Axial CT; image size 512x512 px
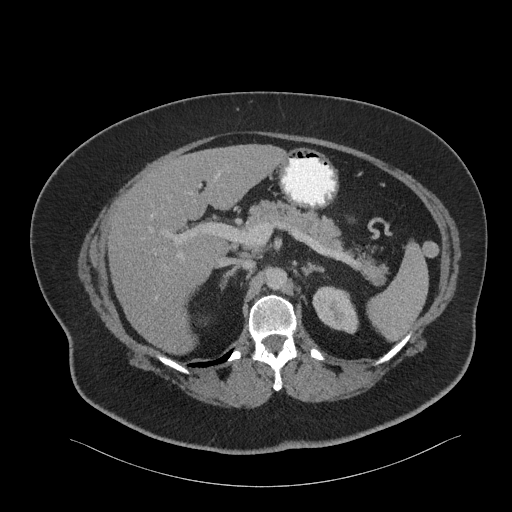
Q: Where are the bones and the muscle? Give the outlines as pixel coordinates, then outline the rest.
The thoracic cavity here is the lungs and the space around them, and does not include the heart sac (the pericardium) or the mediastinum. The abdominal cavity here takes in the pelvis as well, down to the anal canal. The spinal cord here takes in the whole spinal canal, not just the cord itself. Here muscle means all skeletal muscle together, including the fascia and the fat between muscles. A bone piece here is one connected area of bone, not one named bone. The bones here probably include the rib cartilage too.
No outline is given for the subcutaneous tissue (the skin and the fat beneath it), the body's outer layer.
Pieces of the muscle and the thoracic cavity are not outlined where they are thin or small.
A: The bones appear in 5 outlined pieces: piece 1: (269, 294) (281, 296) (289, 301) (293, 305) (297, 320) (293, 337) (299, 354) (288, 360) (281, 368) (280, 375) (282, 387) (278, 391) (273, 388) (274, 371) (272, 368) (267, 363) (253, 360) (251, 357) (254, 350) (254, 342) (248, 330) (248, 319) (251, 306) (256, 300), around a hole outlined by (274, 334) (276, 334) (277, 335) (280, 335) (281, 336) (283, 336) (285, 337) (283, 341) (283, 343) (281, 346) (281, 348) (278, 351) (276, 352) (273, 352) (272, 351) (270, 351) (268, 350) (266, 348) (263, 342) (263, 340) (266, 337) (270, 335) (273, 335); piece 2: (411, 330) (412, 331) (412, 333) (409, 339) (402, 347) (402, 348) (393, 357) (392, 357) (389, 360) (385, 362) (380, 363) (377, 365) (374, 365) (373, 364) (374, 362) (378, 358) (385, 354) (394, 345) (395, 345) (398, 342) (399, 342) (408, 333) (408, 332) (409, 332); piece 3: (152, 350) (154, 351) (156, 351) (176, 361) (178, 363) (179, 363) (183, 366) (185, 366) (188, 369) (189, 371) (189, 373) (188, 374) (185, 374) (167, 365) (165, 365) (163, 363) (162, 363) (157, 358) (157, 357) (155, 355) (155, 353); piece 4: (312, 347) (313, 347) (314, 348) (316, 348) (318, 350) (319, 350) (323, 354) (323, 355) (325, 357) (325, 359) (324, 360) (318, 360) (317, 359) (316, 359) (315, 358) (314, 358) (313, 357) (312, 357) (310, 355) (310, 349); piece 5: (234, 349) (239, 349) (242, 352) (242, 354) (241, 355) (241, 356) (239, 358) (238, 358) (237, 359) (234, 359) (233, 360) (232, 360) (231, 361) (230, 361) (229, 362) (227, 362) (226, 361) (226, 360) (228, 358) (228, 357) (231, 354) (231, 353) (232, 352) (232, 351). The muscle is outlined by (249, 129) (264, 130) (265, 131) (276, 131) (288, 134) (316, 137) (350, 146) (368, 153) (383, 160) (392, 166) (397, 167) (407, 172) (413, 176) (440, 199) (455, 221) (459, 232) (460, 247) (462, 251) (461, 258) (459, 261) (459, 273) (457, 279) (456, 290) (453, 297) (443, 312) (425, 328) (423, 336) (427, 341) (426, 347) (422, 351) (418, 352) (415, 355) (406, 357) (396, 366) (391, 368) (375, 385) (365, 392) (353, 397) (332, 402) (330, 401) (307, 402) (288, 396) (284, 393) (276, 392) (266, 402) (253, 408) (245, 408) (244, 407) (241, 408) (236, 408) (235, 407) (222, 408) (218, 406) (201, 402) (186, 394) (175, 384) (170, 383) (169, 381) (163, 379) (153, 372) (143, 370) (130, 365) (126, 354) (128, 350) (124, 344) (110, 332) (100, 319) (97, 313) (92, 308) (92, 306) (88, 299) (88, 296) (84, 291) (82, 284) (77, 276) (77, 257) (80, 250) (80, 247) (86, 233) (92, 225) (94, 220) (97, 217) (102, 208) (110, 203) (117, 191) (128, 180) (141, 170) (147, 163) (151, 162) (169, 151) (189, 142) (221, 132) (231, 131) (232, 130) (248, 130) with holes at (236, 135) (304, 142) (363, 159) (411, 189) (438, 222) (442, 239) (437, 292) (411, 328) (407, 342) (389, 360) (374, 365) (377, 359) (372, 357) (331, 356) (312, 339) (299, 318) (293, 334) (299, 354) (281, 368) (282, 387) (276, 391) (272, 368) (251, 357) (254, 342) (246, 327) (236, 346) (242, 352) (239, 358) (204, 367) (187, 366) (188, 374) (162, 363) (149, 346) (128, 333) (112, 297) (104, 255) (115, 212) (136, 186) (164, 162) (214, 140) and at (312, 347) (313, 347) (314, 348) (316, 348) (318, 350) (319, 350) (323, 354) (323, 355) (325, 357) (325, 359) (324, 360) (318, 360) (317, 359) (316, 359) (315, 358) (314, 358) (313, 357) (312, 357) (310, 355) (310, 349). The abdominal cavity is outlined by (236, 135) (304, 142) (363, 159) (411, 189) (438, 222) (442, 239) (437, 292) (411, 329) (379, 357) (329, 355) (297, 319) (294, 305) (275, 293) (262, 295) (250, 306) (247, 330) (236, 348) (186, 366) (136, 340) (124, 327) (110, 290) (104, 255) (115, 212) (164, 162). The spinal cord is outlined by (274, 334) (276, 334) (277, 335) (280, 335) (281, 336) (283, 336) (285, 337) (283, 341) (283, 343) (281, 346) (281, 348) (278, 351) (276, 352) (273, 352) (272, 351) (270, 351) (268, 350) (266, 348) (263, 342) (263, 340) (266, 337) (270, 335) (273, 335). The thoracic cavity is outlined by (230, 351) (231, 351) (231, 352) (225, 361) (221, 363) (218, 363) (214, 365) (209, 365) (204, 367) (190, 367) (189, 366) (187, 366) (190, 364) (193, 364) (194, 363) (207, 362) (208, 361) (212, 361) (213, 360) (215, 360) (218, 358) (220, 358) (227, 352) (229, 352). The torso is outlined by (257, 90) (361, 100) (399, 112) (431, 129) (459, 155) (479, 189) (487, 221) (487, 260) (469, 365) (437, 401) (397, 424) (343, 443) (226, 454) (152, 438) (106, 415) (80, 396) (70, 375) (66, 335) (35, 276) (29, 230) (34, 204) (50, 174) (100, 130) (174, 100).